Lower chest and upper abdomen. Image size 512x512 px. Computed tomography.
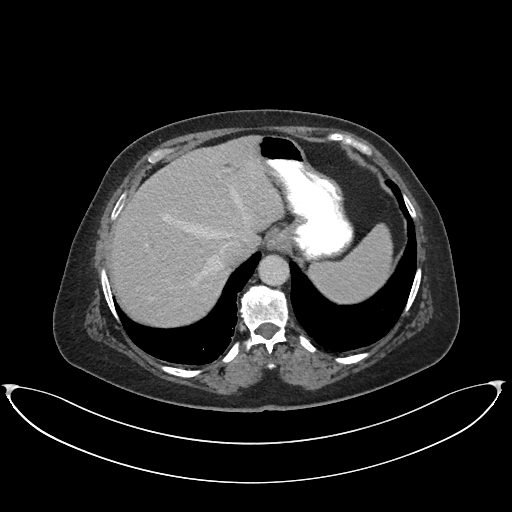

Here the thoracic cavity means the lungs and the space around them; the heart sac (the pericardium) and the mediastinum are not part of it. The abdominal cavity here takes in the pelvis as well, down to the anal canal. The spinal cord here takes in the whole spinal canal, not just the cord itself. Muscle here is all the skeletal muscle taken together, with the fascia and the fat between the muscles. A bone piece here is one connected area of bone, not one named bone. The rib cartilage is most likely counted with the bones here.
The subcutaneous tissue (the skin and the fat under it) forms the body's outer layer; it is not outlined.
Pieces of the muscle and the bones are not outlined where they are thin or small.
{"abdominal_cavity":[[[245,131],[277,131],[312,142],[340,141],[378,169],[407,226],[405,247],[393,273],[369,298],[340,305],[314,287],[283,247],[270,243],[231,273],[213,308],[198,321],[160,328],[132,320],[112,294],[107,273],[112,229],[128,196],[155,164],[174,151]]],"spinal_cord":[[[264,323],[271,323],[272,324],[273,324],[274,325],[275,325],[277,328],[277,329],[276,330],[276,331],[269,338],[266,338],[265,337],[264,337],[262,335],[261,335],[260,334],[259,334],[256,332],[256,330],[258,328],[258,327],[261,324],[263,324]]],"torso":[[[263,108],[315,112],[355,122],[382,136],[402,155],[438,208],[450,245],[460,319],[447,353],[417,373],[362,395],[313,407],[259,412],[217,411],[159,401],[115,386],[66,361],[53,336],[54,304],[74,235],[112,160],[138,137],[168,123],[218,111]]],"muscle":[{"outer":[[264,125],[279,125],[280,126],[283,125],[296,125],[297,126],[311,126],[312,127],[333,127],[342,129],[367,140],[388,160],[390,164],[398,172],[407,185],[409,190],[420,207],[421,212],[423,215],[424,233],[427,238],[426,242],[426,256],[427,257],[426,263],[427,264],[427,276],[428,277],[427,282],[429,284],[428,288],[431,294],[432,306],[433,307],[433,312],[429,321],[423,326],[420,331],[406,339],[375,363],[355,373],[349,374],[347,376],[332,383],[312,390],[308,390],[299,385],[292,385],[283,381],[275,371],[266,371],[262,378],[258,382],[250,385],[248,387],[241,388],[238,393],[233,394],[214,393],[199,388],[179,384],[161,378],[145,369],[125,354],[102,342],[92,339],[88,335],[86,331],[84,326],[84,322],[85,321],[86,310],[94,296],[96,273],[92,266],[92,263],[93,262],[93,256],[95,252],[95,243],[98,238],[97,230],[100,226],[100,220],[109,199],[113,192],[121,183],[135,163],[149,150],[157,146],[162,142],[177,136],[216,128],[249,127],[250,126],[263,126]],"holes":[[[245,131],[277,131],[312,142],[324,142],[334,132],[348,135],[371,149],[369,156],[411,202],[416,214],[413,220],[416,265],[422,270],[419,287],[408,311],[400,314],[385,335],[363,348],[370,353],[367,357],[342,364],[334,359],[345,353],[318,346],[315,352],[307,350],[298,340],[299,334],[306,334],[290,314],[287,340],[277,342],[271,353],[262,343],[246,350],[243,341],[248,332],[240,332],[238,322],[225,352],[236,340],[241,342],[230,361],[222,362],[220,356],[205,364],[174,364],[140,348],[113,316],[102,290],[100,272],[108,265],[115,223],[110,216],[122,192],[126,190],[129,196],[134,191],[154,165],[147,158],[155,150],[173,148],[175,151],[199,140]],[[160,365],[170,365],[171,366],[174,366],[175,367],[180,367],[181,368],[184,368],[185,369],[200,369],[201,370],[201,372],[199,374],[192,377],[182,377],[181,376],[178,376],[177,375],[174,375],[173,374],[168,373],[162,370],[159,367]],[[269,363],[270,363],[271,363],[272,363],[273,363],[274,364],[275,365],[275,366],[275,367],[274,368],[273,368],[272,369],[271,369],[270,369],[269,369],[268,368],[267,367],[267,366],[267,365],[268,364]]]}],"bones":[{"outer":[[258,284],[283,291],[289,307],[289,319],[286,325],[287,340],[277,342],[273,346],[271,353],[268,352],[262,343],[255,344],[249,350],[246,350],[243,341],[248,337],[248,332],[246,330],[239,331],[240,319],[238,308],[240,306],[240,298],[249,287]],"hole":[[264,323],[271,323],[272,324],[273,324],[274,325],[275,325],[277,328],[277,329],[276,330],[276,331],[269,338],[266,338],[265,337],[264,337],[262,335],[261,335],[260,334],[259,334],[256,332],[256,330],[258,328],[258,327],[261,324],[263,324]]},[[102,268],[105,268],[106,269],[106,273],[107,274],[107,277],[109,282],[109,286],[110,287],[110,290],[111,291],[111,294],[112,295],[115,310],[118,315],[120,322],[118,322],[113,316],[105,299],[105,297],[102,290],[101,282],[100,281],[100,272]],[[334,132],[337,132],[345,135],[348,135],[355,140],[357,140],[367,145],[372,151],[371,155],[369,156],[367,154],[359,151],[357,148],[354,148],[349,143],[346,143],[340,140],[334,140],[333,139],[327,138],[327,135],[329,133],[333,133]],[[417,266],[420,266],[422,270],[421,272],[421,279],[420,280],[419,287],[418,288],[417,293],[415,296],[415,298],[410,308],[406,313],[403,314],[402,312],[405,307],[405,305],[406,304],[406,302],[413,283],[413,280],[414,279],[414,276],[416,272]],[[160,365],[170,365],[171,366],[174,366],[175,367],[180,367],[181,368],[184,368],[185,369],[200,369],[201,370],[201,372],[199,374],[192,377],[182,377],[181,376],[178,376],[177,375],[174,375],[173,374],[168,373],[162,370],[159,367]],[[363,351],[367,351],[369,352],[370,354],[367,357],[363,358],[357,362],[355,362],[354,363],[350,363],[349,364],[342,364],[335,361],[334,359],[336,357],[342,357],[343,356],[346,356],[347,355],[350,355],[351,354],[354,354],[355,353],[358,353]],[[163,148],[173,148],[174,150],[171,153],[169,153],[167,155],[166,155],[165,157],[164,157],[162,159],[161,159],[154,164],[151,164],[147,161],[147,158],[148,156],[150,155],[152,153],[152,152],[153,152],[155,150],[157,150],[158,149],[162,149]],[[124,190],[126,190],[127,191],[127,196],[124,202],[124,204],[122,208],[120,210],[115,220],[111,220],[110,218],[110,216],[111,215],[111,212],[115,205],[115,203],[116,201]],[[236,340],[239,340],[241,342],[240,343],[240,346],[239,347],[239,350],[238,351],[237,354],[230,361],[229,361],[228,362],[222,362],[222,361],[221,360],[222,357],[229,350],[229,349],[231,347],[231,346],[234,343],[234,342]],[[299,334],[303,334],[306,337],[307,337],[310,340],[310,341],[317,348],[317,350],[315,352],[311,352],[310,351],[309,351],[308,350],[307,350],[304,347],[303,347],[301,345],[301,344],[299,342],[299,341],[298,340],[298,335]],[[402,193],[404,193],[408,197],[409,200],[411,202],[411,203],[415,210],[415,213],[416,214],[416,218],[413,220],[412,219],[412,218],[410,216],[410,215],[409,214],[409,212],[406,207],[405,202],[404,201],[404,200],[403,199],[403,197],[402,196]]],"thoracic_cavity":[[[389,180],[400,190],[414,225],[416,268],[404,307],[387,333],[364,347],[362,351],[346,355],[327,351],[311,341],[294,317],[290,299],[290,262],[295,263],[324,298],[336,305],[355,305],[373,296],[394,273],[408,240],[407,221],[396,196],[386,182]],[[256,252],[260,253],[259,260],[243,287],[235,295],[237,328],[234,332],[234,338],[225,352],[215,360],[198,365],[174,364],[164,361],[140,348],[123,327],[113,296],[123,313],[132,321],[143,326],[171,329],[189,326],[198,322],[214,308],[232,273]]],"mediastinum":[[[270,244],[279,245],[291,258],[289,262],[291,275],[289,299],[292,306],[293,315],[290,314],[289,302],[283,290],[258,283],[249,286],[240,296],[239,306],[238,307],[237,308],[237,313],[238,314],[237,315],[238,316],[239,319],[238,322],[237,317],[237,306],[236,305],[236,295],[244,287],[256,268],[261,257],[260,250]],[[354,149],[357,149],[359,152],[363,153],[370,157],[380,168],[380,169],[386,174],[387,174],[390,177],[390,178],[388,180],[387,180],[384,177],[382,172],[378,168],[377,168],[373,165],[371,165],[367,163],[365,161],[363,157],[360,154],[354,151]]]}